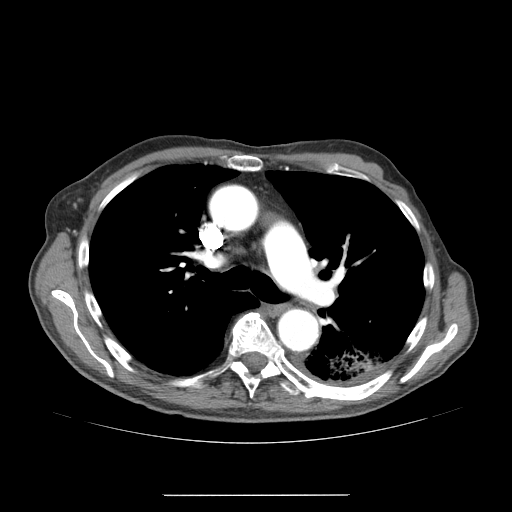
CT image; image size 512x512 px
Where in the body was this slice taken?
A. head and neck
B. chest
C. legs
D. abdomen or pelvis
B. chest
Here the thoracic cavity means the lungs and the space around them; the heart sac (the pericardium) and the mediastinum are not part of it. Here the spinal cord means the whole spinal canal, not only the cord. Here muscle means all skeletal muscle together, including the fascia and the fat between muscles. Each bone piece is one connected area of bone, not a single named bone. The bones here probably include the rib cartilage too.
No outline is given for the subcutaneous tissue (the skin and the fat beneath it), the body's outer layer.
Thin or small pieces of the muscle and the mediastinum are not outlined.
{"bones":[{"outer":[[248,311],[259,313],[291,364],[317,382],[350,387],[388,369],[393,372],[376,391],[353,400],[292,395],[279,383],[285,378],[282,374],[262,379],[250,398],[230,369],[205,379],[199,388],[169,385],[170,379],[193,376],[219,364],[227,354],[235,318]],"hole":[[250,352],[257,352],[258,353],[263,355],[265,357],[265,358],[266,359],[266,362],[265,363],[264,366],[260,370],[259,370],[256,372],[252,372],[251,371],[250,371],[250,370],[245,365],[245,364],[243,361],[243,356],[246,353],[249,353]]},[[452,323],[455,323],[457,325],[457,332],[454,337],[446,345],[445,345],[442,349],[437,352],[433,353],[425,361],[421,367],[410,378],[403,383],[400,383],[399,382],[400,378],[406,374],[413,367],[425,347],[429,344],[440,341],[444,337],[449,326]],[[54,289],[63,290],[71,296],[77,311],[77,325],[79,330],[86,339],[91,349],[99,357],[104,359],[110,364],[114,374],[113,377],[110,377],[107,374],[105,367],[89,352],[83,341],[75,330],[73,325],[72,310],[66,304],[51,294],[51,291]],[[242,154],[250,154],[251,155],[254,155],[257,157],[259,157],[263,161],[264,163],[263,167],[259,170],[257,170],[256,171],[239,171],[233,168],[224,167],[220,165],[218,163],[219,162],[219,157],[222,155],[232,156],[233,155],[241,155]],[[104,334],[106,334],[112,337],[114,339],[115,339],[131,355],[131,356],[133,358],[130,364],[135,369],[136,371],[135,372],[131,372],[127,369],[126,369],[111,354],[111,353],[107,348],[104,342],[104,339],[103,338],[103,335]],[[424,316],[426,316],[427,317],[427,321],[426,322],[426,325],[425,326],[424,331],[422,335],[420,337],[419,340],[417,342],[417,343],[408,353],[405,354],[404,352],[406,348],[404,346],[404,344],[409,334],[416,324],[417,321],[420,318]],[[333,162],[335,162],[341,166],[353,169],[356,171],[358,171],[366,175],[370,179],[370,182],[364,179],[361,179],[356,177],[350,177],[349,176],[345,176],[344,175],[334,174],[333,173],[327,173],[325,172],[324,166],[328,163],[332,163]],[[135,172],[139,172],[139,177],[135,179],[131,183],[127,185],[117,194],[116,194],[108,202],[108,203],[100,212],[98,210],[98,207],[100,203],[104,198],[104,197],[117,184],[118,184],[121,181],[122,181],[127,177],[130,176],[133,173]],[[85,289],[88,289],[92,292],[92,293],[100,308],[100,310],[102,313],[102,317],[100,319],[100,320],[102,323],[102,328],[100,328],[97,325],[96,322],[92,317],[92,316],[86,305],[86,303],[85,302],[85,298],[84,297],[84,290]],[[85,235],[86,236],[87,236],[87,237],[89,240],[89,247],[88,248],[88,265],[87,266],[87,267],[84,267],[83,268],[79,268],[79,267],[78,266],[78,248],[79,247],[79,243],[80,242],[80,241],[81,240],[81,239],[82,238],[82,237]],[[395,199],[399,199],[403,201],[410,208],[410,209],[414,214],[418,222],[418,224],[419,225],[419,232],[418,233],[417,233],[414,227],[406,218],[406,217],[401,211],[399,207],[394,202],[394,200]],[[426,262],[429,262],[432,265],[432,267],[433,268],[433,272],[434,273],[434,281],[433,282],[433,286],[432,287],[432,288],[430,290],[426,290],[425,289],[425,288],[424,287],[424,285],[423,284],[423,271],[424,270],[424,266],[425,265],[425,263]]],"thoracic_cavity":[[[202,161],[239,172],[207,192],[197,226],[200,243],[211,260],[211,270],[223,275],[219,285],[249,293],[258,305],[234,318],[223,359],[219,357],[199,373],[174,376],[149,368],[116,339],[92,291],[88,270],[90,239],[104,208],[135,180],[162,166]],[[280,166],[373,184],[398,207],[418,236],[424,257],[425,290],[418,319],[385,370],[366,382],[350,386],[320,382],[298,369],[286,356],[302,359],[309,356],[320,342],[322,323],[314,299],[318,272],[309,255],[312,245],[296,213],[266,176],[267,171]]],"muscle":[{"outer":[[175,146],[208,146],[245,153],[222,154],[218,162],[166,164],[141,176],[139,171],[133,172],[103,197],[90,238],[85,234],[78,243],[77,266],[87,268],[91,287],[83,290],[85,305],[100,329],[101,319],[105,320],[115,338],[104,333],[103,342],[126,370],[137,371],[131,364],[134,359],[153,371],[175,377],[166,381],[169,386],[197,389],[205,385],[205,380],[230,370],[239,377],[250,399],[262,380],[282,375],[278,383],[292,396],[302,393],[306,398],[353,401],[383,386],[394,372],[392,368],[386,370],[388,362],[403,347],[403,353],[408,354],[420,340],[428,317],[419,316],[426,291],[434,286],[435,273],[433,265],[425,262],[418,235],[420,225],[411,208],[399,198],[393,201],[366,174],[335,161],[326,163],[324,171],[316,171],[265,165],[259,156],[251,154],[258,153],[341,152],[378,164],[406,190],[433,245],[466,280],[471,313],[466,341],[434,372],[391,396],[322,412],[195,409],[124,386],[87,367],[64,344],[35,293],[39,263],[57,233],[73,220],[109,175],[148,153]],"holes":[[[452,323],[455,323],[457,325],[457,332],[454,337],[446,345],[445,345],[442,349],[437,352],[433,353],[425,361],[421,367],[410,378],[403,383],[400,383],[399,382],[400,378],[406,374],[413,367],[425,347],[429,344],[440,341],[444,337],[449,326]],[[54,289],[63,290],[71,296],[77,311],[77,325],[79,330],[86,339],[91,349],[99,357],[104,359],[110,364],[114,374],[113,377],[110,377],[107,374],[105,367],[89,352],[83,341],[75,330],[73,325],[72,310],[66,304],[51,294],[51,291]]]}],"mediastinum":[[[264,166],[278,166],[267,170],[265,176],[301,223],[317,272],[313,299],[321,336],[305,358],[286,355],[260,313],[245,311],[259,305],[255,296],[220,285],[224,275],[212,270],[212,260],[199,237],[198,226],[211,188],[240,172],[256,172]]],"spinal_cord":[[[250,352],[257,352],[258,353],[263,355],[265,357],[265,358],[266,359],[266,362],[265,363],[264,366],[260,370],[259,370],[256,372],[252,372],[251,371],[250,371],[250,370],[245,365],[245,364],[243,361],[243,356],[246,353],[249,353]]],"torso":[[[174,133],[254,146],[345,138],[383,153],[413,185],[450,256],[472,278],[479,326],[471,346],[440,377],[397,401],[363,415],[328,420],[228,423],[185,418],[132,403],[84,377],[44,332],[28,292],[29,269],[46,237],[46,206],[60,189],[124,148]]]}